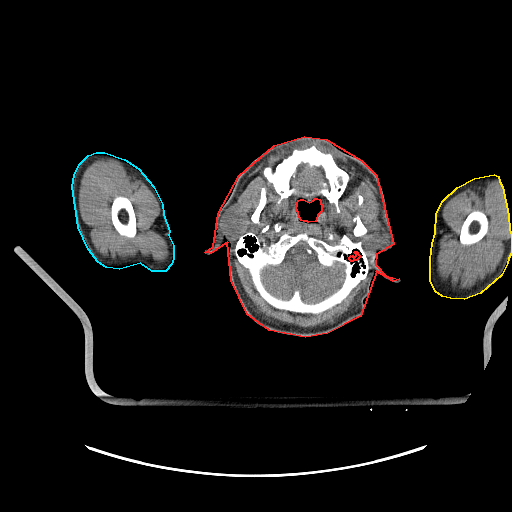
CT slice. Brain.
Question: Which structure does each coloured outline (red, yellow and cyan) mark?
Answer: red: head; yellow: left arm; cyan: right arm.
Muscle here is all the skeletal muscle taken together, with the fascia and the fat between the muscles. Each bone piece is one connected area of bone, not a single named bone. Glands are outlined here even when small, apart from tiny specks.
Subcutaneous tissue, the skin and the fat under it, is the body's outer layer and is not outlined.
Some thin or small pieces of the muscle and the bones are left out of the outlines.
{"head":[{"outer":[[304,136],[326,139],[361,160],[376,175],[393,244],[376,254],[375,264],[385,275],[399,279],[393,281],[376,271],[360,316],[327,333],[305,337],[269,330],[247,314],[231,280],[227,242],[210,253],[205,252],[213,246],[218,213],[239,175],[274,145]],"holes":[[[315,198],[317,198],[319,199],[320,200],[320,203],[321,204],[321,211],[317,215],[315,221],[308,222],[307,221],[303,221],[301,220],[299,217],[298,212],[296,209],[296,206],[297,205],[297,202],[298,200],[300,199],[303,199],[309,202],[313,200]],[[355,251],[356,251],[357,252],[357,253],[360,256],[360,257],[359,257],[356,260],[353,260],[352,261],[351,261],[349,259],[349,257],[351,255],[353,257],[354,257],[356,255],[356,254],[354,252]]]}],"left_arm":[[[494,174],[498,176],[499,181],[502,186],[508,215],[509,229],[511,235],[511,253],[508,258],[507,263],[501,275],[480,293],[464,299],[450,298],[442,296],[435,291],[430,280],[430,259],[432,243],[435,233],[436,213],[443,200],[457,187],[474,178]]],"right_arm":[[[96,152],[104,152],[124,159],[138,168],[153,186],[162,204],[163,214],[169,231],[168,235],[173,245],[173,258],[171,264],[165,271],[152,271],[140,263],[119,269],[106,267],[98,262],[88,249],[78,227],[72,186],[74,175],[79,164],[88,155]]],"parotid_glands":[[[233,203],[238,203],[240,205],[241,205],[249,214],[249,218],[250,219],[249,221],[249,224],[243,236],[239,237],[236,239],[229,236],[222,229],[222,227],[220,223],[221,222],[221,219],[224,213],[224,211],[226,209],[227,209],[229,207],[229,206]],[[380,231],[387,233],[388,235],[388,237],[389,238],[388,241],[385,244],[379,247],[376,247],[375,248],[372,248],[371,249],[367,249],[364,246],[365,241],[370,239],[371,238],[371,236],[372,234],[374,234]]],"muscle":[{"outer":[[306,142],[316,142],[334,150],[357,165],[372,179],[380,205],[380,221],[385,231],[372,233],[370,238],[364,241],[364,243],[363,244],[363,246],[364,247],[365,248],[367,250],[378,248],[372,252],[370,258],[368,252],[363,247],[360,240],[354,241],[344,233],[337,242],[330,243],[305,231],[295,234],[285,231],[276,239],[250,230],[246,232],[250,221],[254,224],[260,222],[267,195],[264,186],[260,189],[258,202],[250,218],[245,208],[234,202],[244,182],[270,155]],"holes":[[[312,145],[330,153],[350,177],[338,199],[338,213],[334,204],[319,194],[322,184],[327,181],[321,166],[309,167],[307,163],[300,163],[290,179],[290,185],[297,192],[280,203],[280,196],[273,184],[263,174],[266,166],[274,168],[294,148],[304,149]],[[315,198],[317,198],[319,199],[320,200],[320,203],[321,204],[321,211],[317,215],[315,221],[308,222],[307,221],[303,221],[301,220],[299,217],[298,212],[296,209],[296,206],[297,205],[297,202],[298,200],[300,199],[303,199],[309,202],[313,200]],[[357,214],[358,214],[359,215],[359,217],[360,218],[362,223],[366,227],[366,228],[367,229],[367,232],[365,234],[364,234],[361,236],[355,236],[353,234],[353,229],[356,224],[356,223],[353,220],[353,218],[355,216],[355,215],[356,215]],[[358,195],[361,195],[362,196],[362,197],[363,198],[363,201],[362,202],[362,204],[361,205],[358,205]]]},{"outer":[[99,158],[113,159],[131,170],[144,181],[154,195],[159,206],[158,224],[168,246],[168,255],[165,260],[157,261],[153,258],[143,256],[130,256],[118,259],[107,258],[95,249],[91,241],[90,234],[81,217],[79,207],[79,187],[82,174],[86,167]],"hole":[[116,196],[124,196],[125,197],[127,197],[130,200],[132,204],[132,206],[134,210],[134,213],[135,214],[135,219],[136,220],[136,233],[134,237],[130,238],[129,237],[121,235],[116,230],[112,223],[112,220],[111,219],[111,204],[114,198]]},{"outer":[[490,180],[498,180],[500,182],[501,191],[508,218],[508,233],[511,238],[511,246],[502,257],[495,270],[473,286],[469,288],[455,288],[446,285],[442,282],[438,274],[436,273],[436,256],[443,208],[446,203],[459,192],[470,186],[482,184]],"hole":[[473,210],[479,210],[480,211],[482,211],[486,215],[488,219],[488,229],[485,235],[480,240],[479,240],[477,242],[473,244],[470,244],[469,245],[463,245],[461,244],[459,241],[459,234],[460,233],[461,226],[464,220],[468,215],[468,214],[469,214]]},[[234,255],[237,261],[247,270],[251,283],[258,295],[267,304],[277,310],[287,311],[294,314],[321,314],[340,304],[361,281],[366,278],[365,285],[357,306],[349,313],[326,326],[302,328],[272,321],[260,316],[253,309],[241,288],[238,274],[234,264]]],"brain":[[[302,241],[305,242],[315,253],[317,261],[322,266],[331,267],[335,263],[343,266],[344,277],[340,286],[327,296],[315,302],[304,301],[298,289],[295,289],[289,298],[276,296],[267,289],[262,279],[262,272],[266,267],[281,264],[287,252],[293,246]]],"bones":[{"outer":[[249,231],[271,240],[276,240],[285,232],[290,235],[305,232],[330,244],[337,243],[344,234],[354,242],[360,241],[367,252],[369,259],[367,275],[340,303],[321,313],[294,313],[277,309],[259,295],[252,283],[248,270],[238,261],[234,254],[236,242]],"holes":[[[302,241],[305,242],[315,253],[317,261],[322,266],[331,267],[335,263],[343,266],[344,277],[340,286],[327,296],[315,302],[304,301],[298,289],[295,289],[289,298],[276,296],[267,289],[262,279],[262,272],[266,267],[281,264],[287,252],[293,246]],[[355,251],[356,251],[357,252],[357,253],[360,256],[360,257],[359,257],[356,260],[353,260],[352,261],[351,261],[349,259],[349,257],[351,255],[353,257],[354,257],[356,255],[356,254],[354,252]]]},[[312,145],[330,153],[350,177],[338,199],[338,213],[334,204],[319,194],[322,184],[327,181],[321,166],[309,167],[307,163],[300,163],[290,179],[290,185],[297,192],[280,203],[280,196],[273,184],[263,174],[266,166],[274,168],[294,148],[304,149]],[[116,196],[124,196],[125,197],[127,197],[130,200],[132,204],[132,206],[134,210],[134,213],[135,214],[135,219],[136,220],[136,233],[134,237],[130,238],[129,237],[121,235],[116,230],[112,223],[112,220],[111,219],[111,204],[114,198]],[[473,210],[479,210],[480,211],[482,211],[486,215],[488,219],[488,229],[485,235],[480,240],[479,240],[477,242],[473,244],[470,244],[469,245],[463,245],[461,244],[459,241],[459,234],[460,233],[461,226],[464,220],[468,215],[468,214],[469,214]],[[263,187],[265,188],[265,194],[266,195],[266,203],[263,207],[263,208],[261,210],[259,214],[259,222],[258,223],[254,223],[252,222],[251,220],[251,215],[254,211],[254,210],[256,208],[259,202],[259,199],[260,198],[260,193],[261,192],[261,189]],[[357,214],[358,214],[359,215],[359,217],[360,218],[362,223],[366,227],[366,228],[367,229],[367,232],[365,234],[364,234],[361,236],[355,236],[353,234],[353,229],[356,224],[356,223],[353,220],[353,218],[355,216],[355,215],[356,215]]]}